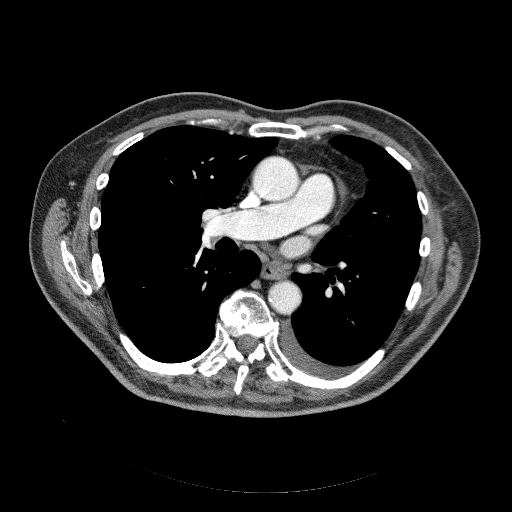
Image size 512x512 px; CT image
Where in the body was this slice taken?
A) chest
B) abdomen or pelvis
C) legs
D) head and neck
A) chest
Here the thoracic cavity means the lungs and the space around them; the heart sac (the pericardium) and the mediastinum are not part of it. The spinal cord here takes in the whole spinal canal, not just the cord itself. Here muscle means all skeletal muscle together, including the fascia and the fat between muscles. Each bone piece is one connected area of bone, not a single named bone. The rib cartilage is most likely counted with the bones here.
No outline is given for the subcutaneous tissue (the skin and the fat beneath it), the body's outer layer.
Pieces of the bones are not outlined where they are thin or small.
The mediastinum is outlined by 328 133; 336 133; 329 140; 334 148; 363 164; 367 181; 361 197; 317 243; 311 271; 291 274; 302 301; 290 321; 280 323; 257 292; 241 288; 258 275; 261 264; 255 253; 239 251; 229 240; 229 210; 276 137; 299 140 with a hole at 271 155; 308 162; 337 173; 343 180; 345 186; 345 193; 342 202; 343 204; 337 218; 313 244; 307 253; 296 258; 288 258; 263 249; 257 245; 251 244; 240 236; 236 228; 236 214; 244 198; 254 169; 264 158. The pericardium is outlined by 271 155; 308 162; 337 173; 343 180; 345 186; 345 193; 342 202; 343 204; 337 218; 313 244; 307 253; 296 258; 288 258; 263 249; 257 245; 251 244; 240 236; 236 228; 236 214; 244 198; 254 169; 264 158. The torso is outlined by 175 92; 217 93; 272 109; 326 99; 364 102; 410 122; 453 170; 478 217; 481 246; 477 268; 447 326; 392 387; 358 405; 291 417; 240 417; 184 409; 144 399; 126 389; 47 301; 28 252; 34 196; 46 164; 64 145; 114 113. The spinal cord is outlined by 243 335; 250 335; 252 337; 255 338; 257 340; 257 343; 256 344; 256 346; 255 347; 255 348; 251 352; 250 352; 249 353; 248 353; 245 355; 244 354; 243 354; 237 348; 237 345; 236 344; 236 340; 239 337; 240 337. The bones appear in 11 outlined pieces: piece 1: 239 288; 265 301; 279 322; 280 350; 310 375; 339 378; 379 348; 385 353; 356 382; 332 389; 273 381; 265 372; 268 356; 249 366; 238 395; 233 359; 209 377; 143 369; 121 344; 119 331; 154 360; 190 360; 210 345; 221 302, around a hole outlined by 243 335; 250 335; 252 337; 255 338; 257 340; 257 343; 256 344; 256 346; 255 347; 255 348; 251 352; 250 352; 249 353; 248 353; 245 355; 244 354; 243 354; 237 348; 237 345; 236 344; 236 340; 239 337; 240 337; piece 2: 265 120; 281 121; 285 123; 296 124; 302 127; 307 125; 314 126; 315 125; 329 125; 337 123; 347 127; 349 130; 347 132; 328 132; 314 135; 312 137; 299 139; 291 139; 280 136; 255 137; 248 135; 246 132; 246 128; 252 123; piece 3: 62 239; 65 241; 67 248; 73 255; 75 259; 75 261; 76 262; 76 266; 77 267; 79 275; 82 278; 89 282; 91 285; 92 287; 92 293; 90 295; 86 295; 83 293; 72 276; 66 270; 63 264; 63 261; 61 256; 60 241; piece 4: 93 252; 98 252; 99 253; 99 255; 101 259; 102 267; 103 268; 103 274; 104 275; 104 283; 102 285; 102 286; 98 289; 97 288; 97 285; 96 284; 95 279; 93 276; 93 272; 91 268; 91 258; 92 257; 92 253; piece 5: 203 118; 220 118; 221 119; 223 119; 224 120; 227 121; 227 122; 229 125; 229 128; 230 129; 221 129; 218 127; 215 127; 214 126; 207 126; 206 125; 191 125; 190 124; 187 124; 186 123; 186 122; 190 119; 202 119; piece 6: 414 281; 419 281; 421 283; 421 293; 420 294; 420 295; 419 296; 419 298; 418 299; 418 300; 416 302; 414 307; 410 311; 407 311; 405 308; 405 302; 406 301; 406 299; 407 298; 407 296; 409 293; 409 291; 410 290; 410 288; piece 7: 138 132; 143 132; 144 133; 144 136; 141 139; 140 139; 138 141; 132 144; 129 147; 125 149; 117 156; 114 156; 112 155; 112 152; 113 150; 120 142; 121 142; 126 138; piece 8: 95 205; 96 206; 97 206; 98 207; 99 207; 99 208; 100 209; 100 225; 99 226; 99 227; 97 230; 92 230; 90 227; 90 224; 89 223; 89 214; 90 213; 90 211; 91 210; 91 208; 93 206; 94 206; piece 9: 386 145; 387 145; 388 146; 390 146; 391 147; 392 147; 397 152; 398 152; 402 156; 403 156; 411 164; 411 166; 412 167; 412 169; 411 170; 409 170; 408 171; 396 159; 395 159; 384 148; 384 147; piece 10: 418 190; 421 190; 423 192; 423 193; 425 195; 425 196; 426 197; 426 199; 427 200; 427 202; 428 203; 428 212; 426 215; 423 215; 421 213; 421 212; 420 211; 420 209; 419 208; 419 206; 418 205; 418 201; 417 200; 417 191; piece 11: 102 172; 107 172; 108 173; 108 180; 107 181; 107 183; 106 184; 106 185; 105 186; 105 187; 103 189; 101 189; 100 190; 98 190; 96 188; 96 180; 97 179; 97 177. The muscle is outlined by 204 108; 269 119; 249 124; 247 135; 231 129; 220 117; 190 118; 147 135; 138 131; 116 145; 109 171; 96 177; 95 188; 102 194; 100 205; 93 205; 88 214; 90 229; 97 231; 98 246; 98 251; 91 253; 90 268; 96 288; 104 284; 123 331; 117 332; 120 344; 139 368; 160 376; 198 372; 209 378; 233 360; 237 368; 232 389; 237 396; 250 366; 266 357; 270 360; 264 372; 273 382; 291 381; 324 390; 351 386; 382 360; 386 353; 382 345; 402 311; 410 312; 422 293; 422 283; 414 280; 421 258; 430 253; 431 240; 422 236; 422 215; 428 214; 429 203; 424 192; 415 187; 409 173; 412 164; 392 146; 383 147; 347 133; 350 129; 337 122; 302 126; 282 121; 341 115; 385 133; 419 160; 424 181; 440 210; 443 232; 458 243; 463 258; 456 290; 424 332; 379 374; 350 392; 321 401; 275 404; 173 392; 128 367; 57 289; 41 250; 42 224; 52 202; 63 197; 72 210; 77 209; 88 175; 116 135; 158 116; inner edge: 62 239; 65 241; 67 248; 73 255; 75 259; 75 261; 76 262; 76 266; 77 267; 79 275; 82 278; 89 282; 91 285; 92 287; 92 293; 90 295; 86 295; 83 293; 72 276; 66 270; 63 264; 63 261; 61 256; 60 241. The thoracic cavity appears in 2 outlined pieces: piece 1: 183 124; 232 130; 255 138; 275 137; 276 143; 243 180; 225 226; 228 240; 239 252; 248 250; 258 258; 257 275; 220 302; 214 336; 203 351; 187 360; 166 362; 142 352; 119 324; 105 285; 98 230; 103 190; 116 158; 145 136; piece 2: 337 133; 381 146; 408 172; 421 214; 420 259; 404 307; 381 346; 348 373; 325 378; 293 365; 281 350; 278 336; 280 324; 289 323; 303 301; 292 274; 312 271; 317 264; 312 253; 320 240; 365 192; 368 178; 364 164; 330 143.